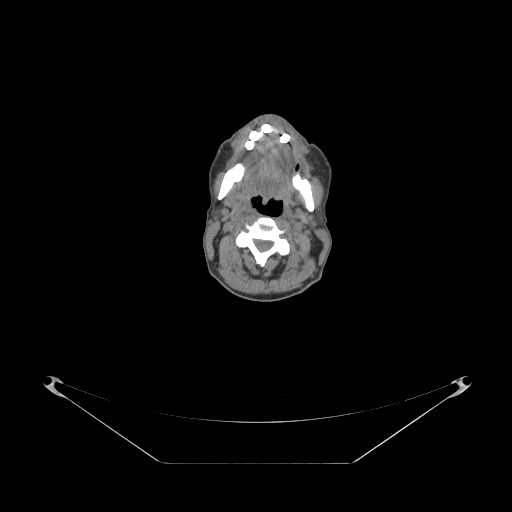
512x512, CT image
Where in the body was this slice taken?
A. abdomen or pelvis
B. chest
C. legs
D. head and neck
D. head and neck
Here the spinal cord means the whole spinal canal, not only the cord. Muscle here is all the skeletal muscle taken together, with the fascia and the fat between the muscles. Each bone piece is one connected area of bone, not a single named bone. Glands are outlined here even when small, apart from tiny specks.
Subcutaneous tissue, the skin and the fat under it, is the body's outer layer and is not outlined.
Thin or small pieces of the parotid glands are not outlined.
{"parotid_glands":[[[320,208],[320,209],[321,210],[321,215],[322,216],[322,219],[323,220],[323,221],[322,222],[322,224],[321,223],[318,223],[318,222],[317,221],[317,220],[316,219],[316,214],[317,213],[317,211]]],"muscle":[{"outer":[[268,118],[278,120],[287,126],[307,146],[320,164],[323,172],[324,191],[320,207],[315,214],[315,219],[317,223],[321,224],[326,231],[328,236],[328,247],[324,259],[319,266],[317,274],[306,284],[281,293],[249,294],[232,288],[224,281],[213,266],[209,258],[205,239],[210,219],[212,218],[212,216],[215,215],[215,212],[213,211],[215,207],[215,199],[213,192],[214,179],[221,158],[227,146],[241,132],[260,120]],"holes":[[[254,198],[260,198],[264,205],[271,200],[281,203],[279,213],[270,216],[280,229],[285,230],[289,244],[287,254],[274,253],[268,257],[263,267],[256,263],[247,247],[239,247],[235,242],[246,222],[252,224],[259,217],[267,215],[259,211],[253,202]],[[264,123],[267,123],[277,128],[279,130],[287,133],[290,136],[289,141],[285,143],[282,143],[278,140],[278,138],[276,135],[273,134],[265,134],[255,142],[252,149],[248,150],[245,147],[245,142],[249,138],[250,131],[251,130],[258,130],[261,125]],[[238,162],[241,162],[244,165],[244,167],[245,168],[242,178],[239,181],[235,182],[233,184],[232,187],[222,199],[218,200],[217,199],[217,195],[219,192],[220,186],[221,185],[221,182],[222,181],[222,179],[224,176],[225,172],[229,168],[230,168]],[[295,172],[298,172],[298,173],[303,178],[306,178],[310,183],[311,190],[312,191],[313,201],[314,202],[314,209],[313,211],[311,212],[310,211],[308,211],[306,209],[305,207],[305,202],[303,197],[301,195],[300,192],[295,188],[292,184],[292,176]],[[228,198],[229,198],[230,198],[231,198],[232,199],[233,200],[234,201],[234,202],[234,203],[234,204],[233,205],[232,206],[231,207],[230,207],[229,207],[228,207],[227,206],[226,205],[225,204],[225,203],[225,202],[225,201],[226,200],[227,199]]]}],"submandibular_glands":[[[228,198],[229,198],[230,198],[231,198],[232,199],[233,200],[234,201],[234,202],[234,203],[234,204],[233,205],[232,206],[231,207],[230,207],[229,207],[228,207],[227,206],[226,205],[225,204],[225,203],[225,202],[225,201],[226,200],[227,199]]],"spinal_cord":[[[255,239],[256,239],[257,240],[266,240],[267,241],[271,241],[273,243],[272,244],[272,245],[270,248],[269,248],[268,249],[267,249],[264,251],[260,251],[257,248],[257,247],[255,245],[255,244],[254,243],[254,240]]],"head_and_neck":[{"outer":[[263,113],[275,113],[284,117],[310,142],[321,148],[332,168],[330,191],[326,206],[327,226],[332,236],[332,246],[322,276],[303,292],[272,302],[246,300],[227,291],[209,273],[202,249],[202,234],[206,210],[210,202],[208,170],[218,146],[249,120]],"hole":[[254,198],[260,198],[261,200],[260,201],[261,203],[264,205],[267,204],[268,202],[271,200],[273,200],[275,202],[280,202],[281,203],[281,208],[280,209],[279,213],[277,215],[267,215],[265,213],[263,213],[259,211],[253,202]]}],"bones":[{"outer":[[261,216],[270,216],[280,229],[284,229],[289,244],[289,252],[287,254],[281,255],[277,252],[274,253],[268,257],[265,265],[263,267],[256,263],[254,256],[247,247],[239,247],[235,242],[235,239],[244,224],[246,222],[249,224],[252,224],[253,222]],"hole":[[255,239],[256,239],[257,240],[266,240],[267,241],[271,241],[273,243],[272,244],[272,245],[270,248],[269,248],[268,249],[267,249],[264,251],[260,251],[257,248],[257,247],[255,245],[255,244],[254,243],[254,240]]},[[264,123],[267,123],[277,128],[279,130],[287,133],[290,136],[289,141],[285,143],[282,143],[278,140],[278,138],[276,135],[273,134],[265,134],[255,142],[252,149],[248,150],[245,147],[245,142],[249,138],[250,131],[251,130],[258,130],[261,125]],[[238,162],[241,162],[244,165],[244,167],[245,168],[242,178],[239,181],[235,182],[233,184],[232,187],[222,199],[218,200],[217,199],[217,195],[219,192],[220,186],[221,185],[221,182],[222,181],[222,179],[224,176],[225,172],[229,168],[230,168]],[[295,172],[298,172],[298,173],[303,178],[306,178],[310,183],[311,190],[312,191],[313,201],[314,202],[314,209],[313,211],[311,212],[310,211],[308,211],[306,209],[305,207],[305,202],[303,197],[301,195],[300,192],[295,188],[292,184],[292,176]]]}